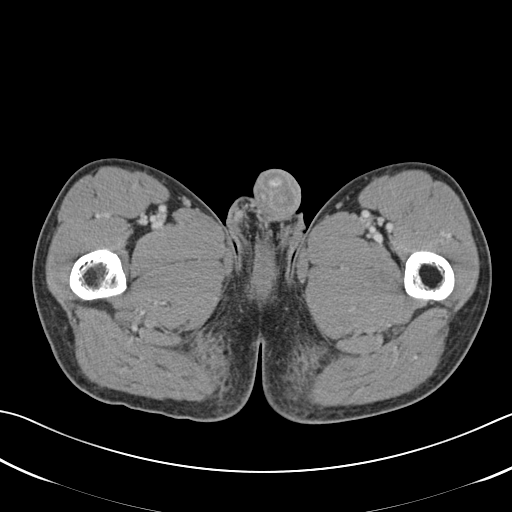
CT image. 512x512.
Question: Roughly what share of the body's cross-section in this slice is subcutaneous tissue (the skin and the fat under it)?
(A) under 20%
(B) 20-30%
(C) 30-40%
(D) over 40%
Answer: (C) 30-40%
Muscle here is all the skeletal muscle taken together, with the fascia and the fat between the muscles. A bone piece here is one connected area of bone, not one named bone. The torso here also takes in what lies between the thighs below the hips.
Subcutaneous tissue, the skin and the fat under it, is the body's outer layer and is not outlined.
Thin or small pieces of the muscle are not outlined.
Outlines (x, y in pixels):
muscle 1: 404,168 436,175 460,199 479,258 476,288 449,324 446,346 437,369 419,387 395,397 360,405 313,410 292,402 286,396 286,384 280,380 287,356 296,345 319,336 297,275 302,244 319,221 359,185 370,178, around a hole outlined by 416,250 427,250 428,251 434,252 441,255 449,262 454,273 454,286 450,294 444,299 442,300 433,300 432,299 425,300 420,298 414,298 411,296 409,296 405,292 404,285 403,284 405,263 406,260 412,252
muscle 2: 101,166 118,166 152,175 186,207 197,208 211,217 227,235 233,265 232,276 204,326 205,329 223,334 228,341 224,396 198,402 155,399 100,387 85,377 73,352 71,327 47,288 45,263 64,197 78,179 with a hole at 100,248 107,248 118,255 121,261 122,269 126,276 127,288 122,293 114,296 110,296 106,298 98,298 97,299 93,299 92,300 84,300 76,295 70,288 69,286 69,274 74,262 80,256 93,250 99,249
torso: 270,168 285,170 296,180 300,188 300,202 297,210 299,212 302,212 304,223 307,227 265,311 259,330 259,316 256,304 240,271 237,251 225,228 224,223 232,202 241,195 251,196 253,185 258,174 261,171
left leg: 402,161 430,163 449,173 462,188 479,221 488,244 492,267 491,293 481,326 468,352 451,376 434,392 407,407 340,423 303,424 290,421 269,406 262,391 259,331 266,311 309,224 322,205 354,177 377,167
right leg: 105,157 131,159 164,171 196,194 223,222 236,251 239,271 255,304 259,345 254,385 249,399 239,412 227,419 198,422 120,404 102,403 74,386 53,356 32,291 31,270 37,238 50,207 67,179 82,165
bones 1: 100,248 107,248 118,255 121,261 122,269 126,276 127,288 122,293 114,296 110,296 106,298 98,298 97,299 93,299 92,300 84,300 76,295 70,288 69,286 69,274 74,262 80,256 93,250 99,249
bones 2: 416,250 427,250 428,251 434,252 441,255 449,262 454,273 454,286 450,294 444,299 442,300 433,300 432,299 425,300 420,298 414,298 411,296 409,296 405,292 404,285 403,284 405,263 406,260 412,252